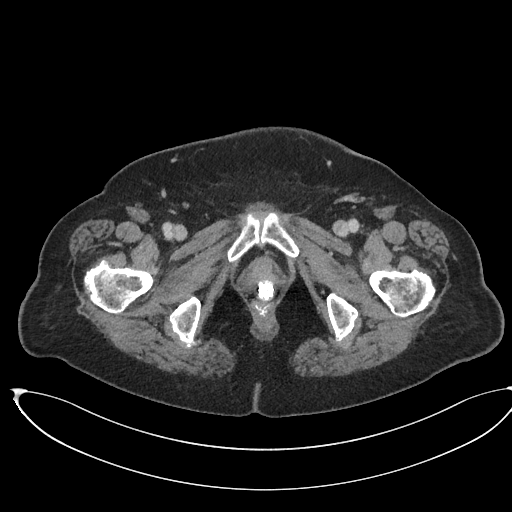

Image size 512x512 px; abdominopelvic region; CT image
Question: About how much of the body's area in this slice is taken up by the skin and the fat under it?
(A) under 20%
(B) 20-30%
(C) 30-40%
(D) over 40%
Answer: (D) over 40%
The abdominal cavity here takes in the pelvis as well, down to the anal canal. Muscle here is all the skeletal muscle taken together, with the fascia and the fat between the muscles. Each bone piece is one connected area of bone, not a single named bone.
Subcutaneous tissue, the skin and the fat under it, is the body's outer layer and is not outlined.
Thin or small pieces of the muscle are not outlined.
The abdominal cavity is outlined by 259,246 270,246 276,249 284,256 287,261 288,267 286,280 275,298 273,304 273,317 274,318 273,324 270,330 267,332 263,332 259,329 256,321 254,308 242,290 238,282 237,277 237,272 241,260 247,252. The muscle is outlined by 259,202 275,203 343,232 357,227 375,207 395,204 445,232 449,286 415,341 396,357 347,375 296,374 290,365 296,348 327,331 300,280 277,306 280,330 269,343 252,335 251,314 239,294 231,286 223,289 202,328 206,339 221,341 236,357 234,368 217,379 174,374 138,360 76,312 68,245 80,223 113,208 140,205 163,228 183,231 203,228; inner edges: 252,212 261,220 268,212 279,214 283,226 300,250 294,258 284,256 288,267 287,276 275,298 274,320 272,327 267,332 259,329 254,308 238,282 237,272 244,256 230,262 226,254 227,249 244,225 246,215, then 102,259 105,259 112,267 130,267 134,269 147,271 152,275 154,280 151,287 145,293 140,295 128,305 123,311 119,313 110,313 96,305 90,299 89,293 86,290 84,285 83,278 86,271 91,267 97,265, then 383,269 384,270 396,269 405,272 409,272 413,269 417,269 419,271 428,274 430,276 432,280 432,283 435,288 435,293 427,306 424,309 406,317 400,317 393,314 390,309 372,289 368,281 368,277 373,271, then 193,295 196,296 200,301 201,303 201,308 200,309 199,320 194,336 194,339 196,343 190,347 186,347 185,343 181,341 179,339 178,335 173,331 171,326 171,323 169,320 169,315 178,304 188,299, then 330,292 334,292 339,296 341,296 344,298 354,307 355,307 358,312 358,316 354,322 354,326 352,330 340,341 336,341 335,340 334,331 331,325 331,323 329,319 329,316 328,315 328,312 327,311 326,297. The bones appear in 5 outlined pieces: piece 1: 102,259 105,259 112,267 130,267 134,269 147,271 152,275 154,280 151,287 145,293 140,295 128,305 123,311 119,313 110,313 96,305 90,299 89,293 86,290 84,285 83,278 86,271 91,267 97,265; piece 2: 383,269 384,270 396,269 405,272 409,272 413,269 417,269 419,271 428,274 430,276 432,280 432,283 435,288 435,293 427,306 424,309 406,317 400,317 393,314 390,309 372,289 368,281 368,277 373,271; piece 3: 252,212 254,213 256,217 261,220 268,212 276,212 279,214 283,226 299,247 300,251 298,255 294,258 289,257 273,245 266,243 264,245 254,245 239,259 230,262 227,258 226,251 244,225 246,215 248,213; piece 4: 193,295 196,296 200,301 201,303 201,308 200,309 199,320 194,336 194,339 196,343 190,347 186,347 185,343 181,341 179,339 178,335 173,331 171,326 171,323 169,320 169,315 178,304 188,299; piece 5: 330,292 334,292 339,296 341,296 344,298 354,307 355,307 358,312 358,316 354,322 354,326 352,330 340,341 336,341 335,340 334,331 331,325 331,323 329,319 329,316 328,315 328,312 327,311 326,297. The torso is outlined by 274,125 316,131 386,164 463,224 479,251 484,281 504,315 503,336 492,350 371,402 268,417 256,412 226,416 163,404 109,385 58,358 32,356 23,349 17,331 19,306 36,277 45,238 66,212 144,155.